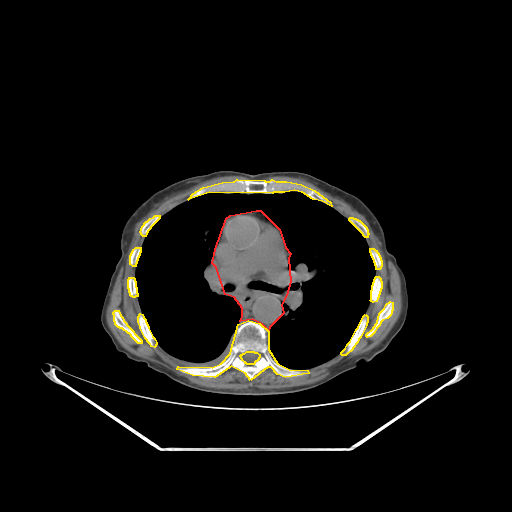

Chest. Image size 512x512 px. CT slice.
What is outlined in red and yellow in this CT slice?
red: mediastinum; yellow: bones.
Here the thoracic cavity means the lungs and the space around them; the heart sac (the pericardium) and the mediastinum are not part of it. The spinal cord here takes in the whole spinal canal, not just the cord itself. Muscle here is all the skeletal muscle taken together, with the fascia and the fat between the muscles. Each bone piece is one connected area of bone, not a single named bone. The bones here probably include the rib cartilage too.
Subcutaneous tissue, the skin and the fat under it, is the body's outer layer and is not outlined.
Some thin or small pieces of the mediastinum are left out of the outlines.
mediastinum: [[256,210],[260,210],[279,229],[285,247],[290,253],[288,258],[290,281],[286,295],[281,304],[283,313],[269,327],[268,330],[262,324],[252,319],[240,321],[242,316],[242,308],[234,297],[225,294],[216,267],[212,263],[215,249],[226,218],[230,215]]
bones 1: [[248,320],[259,323],[268,331],[268,349],[277,363],[289,369],[307,370],[308,373],[285,377],[277,374],[271,367],[267,367],[250,380],[245,373],[231,366],[214,377],[192,375],[177,369],[178,366],[212,367],[221,363],[230,353],[238,324]], around a hole outlined by [[247,351],[253,351],[254,352],[256,352],[259,354],[259,357],[258,358],[258,359],[256,361],[255,361],[253,364],[247,364],[246,363],[245,363],[245,362],[242,360],[242,359],[240,356],[240,355],[241,354],[242,354],[243,353],[244,353]]
bones 2: [[237,179],[264,180],[265,181],[269,181],[272,179],[276,181],[286,181],[301,184],[314,190],[330,202],[331,206],[322,201],[313,199],[302,192],[294,190],[284,192],[273,192],[272,193],[209,192],[188,199],[193,193],[203,187],[222,182],[234,181]]
bones 3: [[365,314],[367,316],[367,322],[366,323],[366,325],[360,337],[358,339],[357,342],[352,348],[352,349],[345,355],[342,355],[341,354],[341,352],[345,348],[347,344],[350,341],[356,329],[358,327],[363,316]]
bones 4: [[115,310],[118,310],[120,315],[122,317],[123,320],[126,323],[126,324],[141,340],[141,343],[138,343],[131,336],[131,335],[129,333],[128,333],[122,328],[120,328],[119,327],[118,327],[115,324],[115,322],[114,321],[114,315],[113,314],[113,312]]
bones 5: [[140,313],[142,314],[143,317],[145,319],[145,321],[148,326],[148,328],[152,336],[154,338],[156,342],[156,344],[154,347],[151,346],[150,344],[147,341],[147,340],[145,338],[140,328],[140,326],[138,322],[138,316]]
bones 6: [[390,301],[392,302],[392,310],[391,311],[391,313],[390,315],[387,318],[382,320],[380,322],[379,325],[376,328],[374,332],[370,336],[367,337],[366,336],[366,334],[373,328],[373,327],[377,322],[379,313],[384,308],[386,304]]
bones 7: [[376,276],[378,276],[380,278],[380,280],[381,281],[381,288],[380,289],[380,291],[379,292],[379,294],[378,295],[378,297],[377,298],[376,301],[373,302],[370,300],[371,299],[371,290],[372,289],[372,285],[373,284],[373,282],[374,281],[374,279]]
bones 8: [[155,215],[159,215],[159,218],[150,227],[150,228],[147,231],[147,232],[146,233],[145,236],[143,236],[141,234],[141,233],[140,232],[142,226],[146,221],[147,221],[150,218],[153,217]]
bones 9: [[350,217],[352,217],[353,218],[355,218],[356,219],[357,219],[358,220],[359,220],[366,227],[366,228],[367,229],[367,232],[368,233],[368,234],[367,235],[367,237],[365,237],[363,235],[363,234],[349,220],[349,218]]
bones 10: [[129,277],[133,277],[134,278],[134,280],[135,281],[135,286],[136,287],[136,292],[137,293],[137,296],[135,296],[134,297],[133,297],[132,296],[131,296],[130,295],[130,293],[129,292],[129,289],[128,288],[128,279],[129,278]]
bones 11: [[370,248],[373,248],[375,250],[376,250],[376,251],[378,253],[378,254],[380,257],[380,259],[381,260],[381,266],[379,269],[376,269],[376,266],[375,265],[375,263],[374,262],[374,260],[373,259],[373,258],[371,255],[371,253],[370,252]]
bones 12: [[136,247],[140,247],[140,252],[139,253],[139,255],[137,258],[137,260],[136,261],[136,263],[135,264],[135,266],[133,266],[130,264],[130,255],[131,254],[131,253],[132,252],[132,251],[133,250],[133,249]]
spinal cord: [[247,351],[253,351],[254,352],[256,352],[259,354],[259,357],[258,358],[258,359],[256,361],[255,361],[253,364],[247,364],[246,363],[245,363],[245,362],[242,360],[242,359],[240,356],[240,355],[241,354],[242,354],[243,353],[244,353]]
muscle: [[222,176],[246,178],[203,186],[160,217],[159,214],[150,217],[140,228],[139,232],[144,238],[141,247],[134,247],[129,255],[129,264],[135,267],[135,271],[134,277],[129,276],[127,279],[127,288],[131,297],[137,297],[141,310],[137,316],[137,322],[149,345],[154,348],[157,344],[169,355],[189,364],[176,367],[183,374],[214,378],[231,367],[245,374],[250,381],[267,368],[271,368],[277,375],[285,378],[305,376],[309,373],[308,369],[327,362],[340,353],[345,356],[353,349],[367,325],[368,316],[365,313],[370,301],[373,303],[377,301],[382,288],[381,278],[376,275],[376,270],[382,266],[381,257],[377,250],[369,247],[367,243],[366,238],[369,234],[367,227],[355,217],[345,217],[314,189],[293,181],[272,178],[265,180],[274,176],[288,176],[312,183],[363,215],[380,241],[383,251],[395,266],[401,284],[401,311],[389,332],[376,346],[343,362],[327,377],[309,384],[269,389],[229,389],[193,383],[158,363],[130,352],[121,345],[107,323],[106,310],[134,233],[144,220],[166,201],[204,181]], around holes outlined by [[115,310],[118,310],[120,315],[122,317],[123,320],[126,323],[126,324],[141,340],[141,343],[138,343],[131,336],[131,335],[129,333],[128,333],[122,328],[120,328],[119,327],[118,327],[115,324],[115,322],[114,321],[114,315],[113,314],[113,312]] and by [[390,301],[392,302],[392,310],[391,311],[391,313],[390,315],[387,318],[382,320],[380,322],[379,325],[376,328],[374,332],[370,336],[367,337],[366,336],[366,334],[373,328],[373,327],[377,322],[379,313],[384,308],[386,304]]
torso: [[218,170],[250,174],[304,172],[357,196],[367,205],[384,231],[387,249],[404,273],[408,292],[405,322],[383,351],[314,389],[282,395],[238,396],[201,392],[180,385],[115,348],[102,327],[100,311],[110,276],[121,255],[124,224],[156,191],[187,177]]
thoracic cavity: [[291,191],[332,207],[369,248],[370,299],[344,348],[307,369],[273,358],[268,333],[284,313],[291,253],[280,229],[256,209],[225,218],[211,259],[224,294],[241,308],[228,355],[212,366],[192,366],[165,351],[142,313],[135,280],[151,227],[205,194]]